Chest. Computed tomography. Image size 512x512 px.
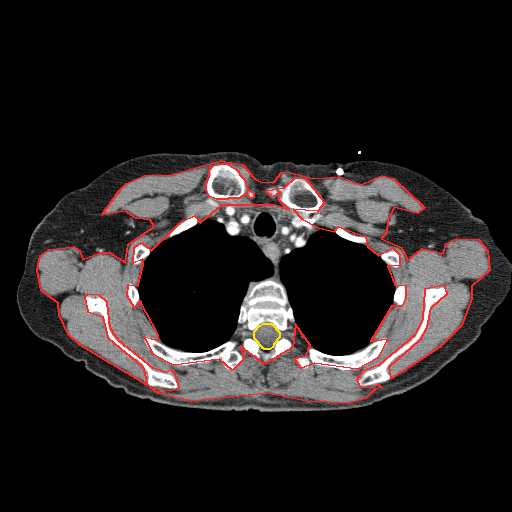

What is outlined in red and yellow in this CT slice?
red: muscle; yellow: spinal cord.
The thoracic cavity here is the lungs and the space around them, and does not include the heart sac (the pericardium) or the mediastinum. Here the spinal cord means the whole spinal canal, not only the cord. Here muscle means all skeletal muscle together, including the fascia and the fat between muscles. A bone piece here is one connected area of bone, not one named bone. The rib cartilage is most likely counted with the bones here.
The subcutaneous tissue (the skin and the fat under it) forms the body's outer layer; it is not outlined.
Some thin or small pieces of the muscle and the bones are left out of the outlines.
{"muscle":[{"outer":[[220,160],[242,164],[254,178],[262,182],[274,181],[281,172],[286,171],[313,178],[339,176],[361,184],[381,175],[393,178],[424,207],[417,213],[393,207],[387,220],[386,233],[381,238],[401,247],[407,260],[422,248],[443,253],[446,243],[456,238],[478,239],[487,250],[489,270],[471,286],[471,298],[461,325],[439,347],[391,378],[389,366],[420,339],[427,327],[431,307],[447,293],[444,285],[424,289],[422,318],[414,335],[378,365],[362,371],[356,380],[360,387],[378,384],[381,387],[374,389],[365,398],[348,403],[307,401],[267,393],[191,401],[158,393],[150,387],[170,390],[179,387],[175,374],[171,370],[165,372],[153,368],[119,341],[110,328],[107,302],[99,295],[87,294],[84,297],[87,311],[102,316],[107,337],[142,366],[147,385],[80,345],[68,334],[59,314],[58,303],[41,290],[37,270],[40,255],[49,249],[73,246],[79,250],[82,259],[99,252],[109,252],[125,262],[128,244],[154,226],[150,220],[136,218],[125,211],[102,214],[118,191],[126,183],[144,175],[172,174]],"holes":[[[295,177],[305,178],[324,202],[317,211],[293,209],[301,218],[318,227],[334,231],[338,226],[365,236],[367,246],[378,255],[392,247],[399,254],[399,265],[387,266],[394,284],[405,285],[405,298],[401,306],[391,306],[370,341],[387,338],[377,358],[357,369],[314,363],[301,368],[294,358],[306,355],[310,345],[295,324],[292,347],[264,364],[240,346],[243,359],[232,370],[219,359],[173,365],[154,355],[144,336],[158,340],[158,334],[140,301],[134,307],[127,296],[128,284],[138,285],[143,264],[142,259],[133,263],[134,247],[141,242],[151,250],[181,221],[194,215],[200,222],[222,204],[274,204],[289,209],[279,200],[280,192],[271,197],[266,190],[284,187]],[[220,163],[226,163],[235,168],[238,171],[239,174],[244,179],[247,189],[253,192],[253,197],[251,198],[249,197],[246,193],[238,198],[228,198],[227,199],[216,199],[209,196],[206,190],[206,184],[207,179],[209,176],[209,171],[210,168],[213,165]]]}],"spinal_cord":[[[263,323],[270,323],[271,324],[272,324],[275,327],[275,328],[279,332],[279,337],[273,344],[272,347],[269,349],[264,349],[263,348],[262,348],[262,347],[259,344],[259,343],[254,338],[254,331],[257,328],[257,327],[259,325],[260,325]]],"bones":[{"outer":[[271,277],[278,280],[285,289],[295,319],[293,327],[296,334],[292,347],[268,363],[262,363],[239,346],[243,359],[232,370],[227,369],[219,359],[173,365],[158,358],[146,346],[146,335],[184,352],[205,352],[229,340],[239,340],[237,319],[250,282]],"hole":[[263,323],[270,323],[271,324],[272,324],[275,327],[275,328],[279,332],[279,337],[273,344],[272,347],[269,349],[264,349],[263,348],[262,348],[262,347],[259,344],[259,343],[254,338],[254,331],[257,328],[257,327],[259,325],[260,325]]},[[382,337],[387,338],[387,343],[377,358],[372,362],[357,369],[342,370],[336,367],[322,366],[314,363],[311,363],[307,368],[304,369],[301,368],[294,360],[294,358],[298,355],[306,355],[307,349],[310,346],[329,355],[347,355],[363,349],[370,343]],[[441,286],[446,288],[444,297],[441,300],[435,302],[430,307],[426,327],[419,339],[392,360],[387,369],[390,374],[390,378],[382,383],[367,386],[358,385],[357,380],[362,372],[378,366],[415,335],[423,318],[423,311],[425,307],[423,295],[424,290]],[[87,295],[104,298],[107,307],[108,324],[112,334],[119,342],[147,362],[153,369],[165,373],[171,371],[178,382],[177,388],[170,389],[148,385],[146,382],[147,373],[143,366],[136,359],[118,348],[108,337],[103,316],[97,311],[88,311],[84,301]],[[295,177],[303,177],[305,178],[310,185],[321,195],[324,202],[324,205],[319,210],[307,212],[290,208],[281,203],[279,200],[278,197],[281,194],[280,192],[275,197],[271,197],[267,192],[266,190],[269,187],[276,187],[277,186],[284,187]],[[220,163],[226,163],[235,168],[238,171],[239,174],[244,179],[247,189],[253,192],[253,197],[251,198],[249,197],[246,193],[238,198],[228,198],[227,199],[216,199],[209,196],[206,190],[206,184],[207,179],[209,176],[209,171],[210,168],[213,165]],[[194,215],[196,216],[198,219],[198,221],[195,225],[192,226],[190,228],[186,230],[184,230],[182,231],[178,234],[176,234],[171,237],[168,237],[168,235],[170,233],[172,228],[175,225],[176,225],[181,221],[186,219],[188,217],[190,216],[193,216]],[[392,247],[393,248],[394,248],[397,251],[397,252],[399,254],[399,256],[400,257],[400,263],[399,264],[399,265],[397,267],[393,267],[392,266],[387,265],[386,264],[386,263],[380,257],[380,254],[382,252],[383,252],[384,251],[388,251]],[[337,226],[344,229],[346,231],[350,233],[356,234],[357,235],[365,236],[367,239],[367,245],[365,245],[362,243],[354,242],[353,241],[351,241],[350,240],[348,240],[347,239],[345,239],[341,237],[339,235],[338,235],[335,231],[335,229]],[[140,242],[141,242],[145,246],[148,247],[150,249],[150,252],[148,256],[143,261],[143,263],[143,260],[142,259],[138,263],[136,264],[134,264],[133,263],[133,260],[132,259],[132,252],[133,251],[133,249],[134,247],[135,247]]],"torso":[[[217,151],[243,152],[264,164],[372,159],[425,175],[488,225],[495,243],[511,261],[505,299],[479,337],[433,377],[365,407],[209,410],[141,399],[110,386],[86,370],[82,361],[38,338],[24,322],[16,291],[30,236],[64,195],[120,162],[151,153]]],"mediastinum":[[[222,204],[231,204],[238,207],[274,204],[292,210],[304,220],[310,219],[318,227],[322,227],[318,228],[303,246],[293,248],[280,258],[277,277],[275,277],[275,269],[272,262],[252,239],[243,235],[232,235],[228,233],[223,223],[206,217],[211,215]]],"thoracic_cavity":[[[205,218],[220,222],[232,236],[243,236],[252,240],[271,262],[274,277],[249,282],[239,307],[236,319],[237,328],[231,339],[205,351],[184,351],[170,347],[158,338],[157,332],[142,309],[137,287],[138,279],[144,261],[152,249],[163,240],[190,229]],[[323,227],[333,230],[345,240],[367,246],[379,255],[393,276],[395,285],[392,305],[370,342],[363,348],[347,354],[325,353],[311,346],[304,339],[295,324],[296,319],[286,289],[278,279],[275,279],[278,277],[281,258],[293,249],[303,247],[318,229]]]}